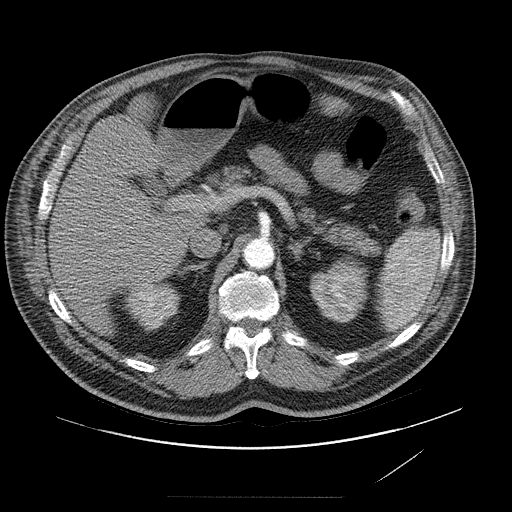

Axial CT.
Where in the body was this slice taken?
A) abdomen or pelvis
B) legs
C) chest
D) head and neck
Answer: A) abdomen or pelvis
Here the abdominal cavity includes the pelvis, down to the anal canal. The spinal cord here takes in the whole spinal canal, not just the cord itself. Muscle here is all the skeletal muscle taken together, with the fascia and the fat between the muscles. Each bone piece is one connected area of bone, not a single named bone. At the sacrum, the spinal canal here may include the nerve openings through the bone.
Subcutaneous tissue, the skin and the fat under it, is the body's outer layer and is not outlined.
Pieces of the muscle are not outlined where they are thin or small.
{"torso":[[[257,50],[376,62],[400,72],[423,92],[472,184],[476,266],[470,297],[455,329],[424,367],[385,395],[343,414],[298,417],[251,407],[200,425],[126,411],[94,397],[67,376],[36,341],[14,303],[3,242],[14,172],[54,116],[97,82],[171,56]]],"spinal_cord":[[[245,317],[249,317],[250,318],[254,318],[255,319],[257,319],[258,320],[261,321],[263,323],[263,326],[262,327],[261,330],[259,332],[258,332],[253,336],[248,336],[247,335],[245,330],[241,326],[239,326],[236,324],[241,319],[242,319]]],"muscle":[{"outer":[[257,56],[381,77],[422,101],[456,164],[465,205],[458,297],[443,326],[418,348],[346,387],[296,391],[257,377],[258,350],[274,338],[268,323],[279,310],[303,336],[285,327],[280,334],[286,343],[303,348],[309,341],[340,352],[333,355],[340,366],[357,361],[358,349],[393,335],[383,348],[394,349],[420,329],[423,322],[416,320],[440,270],[448,271],[455,254],[454,233],[450,227],[443,230],[437,190],[437,184],[445,185],[444,174],[425,123],[410,100],[392,87],[387,91],[400,110],[310,71],[269,63],[212,63],[151,81],[119,96],[91,119],[63,170],[74,142],[69,136],[61,144],[42,182],[36,216],[46,221],[43,241],[55,288],[47,290],[52,310],[69,325],[72,318],[125,355],[120,360],[133,369],[157,370],[155,365],[131,357],[137,355],[157,360],[178,355],[206,322],[210,293],[217,295],[218,312],[230,323],[223,349],[237,347],[244,353],[247,379],[208,397],[164,397],[93,366],[59,339],[43,310],[44,303],[22,276],[14,243],[20,181],[58,122],[103,88],[175,62]],"hole":[[203,338],[211,338],[212,339],[212,341],[213,342],[213,345],[208,350],[207,350],[200,354],[197,354],[196,355],[192,355],[191,356],[187,356],[186,355],[185,355],[185,353],[187,350],[188,350],[195,343],[196,343],[198,341],[199,341]]}],"abdominal_cavity":[[[221,63],[307,71],[386,102],[410,122],[436,184],[443,233],[435,285],[399,333],[344,352],[320,346],[280,310],[274,281],[251,270],[229,275],[209,293],[205,322],[173,357],[127,356],[71,316],[56,292],[44,240],[57,184],[87,126],[136,88]]],"bones":[{"outer":[[244,271],[268,276],[273,281],[279,297],[278,312],[267,323],[273,338],[257,350],[255,363],[259,374],[253,379],[249,379],[244,373],[247,368],[245,353],[237,346],[228,350],[224,349],[223,340],[231,323],[219,312],[218,308],[219,287],[229,276]],"hole":[[245,317],[249,317],[250,318],[254,318],[255,319],[257,319],[258,320],[261,321],[263,323],[263,326],[262,327],[261,330],[259,332],[258,332],[253,336],[248,336],[247,335],[245,330],[241,326],[239,326],[236,324],[241,319],[242,319]]},[[389,88],[392,88],[396,90],[407,98],[412,104],[417,114],[424,123],[424,133],[431,144],[431,149],[433,151],[433,153],[443,174],[445,181],[444,185],[436,183],[422,154],[422,150],[418,134],[407,116],[401,110],[395,99],[389,93],[388,91]],[[69,137],[71,137],[73,142],[71,146],[72,147],[65,159],[65,164],[58,178],[56,189],[52,200],[51,209],[48,217],[46,220],[41,221],[38,218],[37,214],[40,196],[42,192],[42,185],[44,180],[48,176],[54,162],[59,155],[62,144]],[[448,228],[450,228],[453,233],[453,240],[454,241],[454,254],[453,255],[453,258],[451,261],[451,264],[448,268],[447,271],[446,272],[443,272],[441,271],[440,269],[440,263],[441,262],[441,257],[442,256],[443,234],[444,232],[448,229]],[[415,321],[421,321],[422,322],[422,325],[419,328],[419,329],[410,338],[409,338],[402,344],[394,348],[390,348],[389,349],[385,349],[384,348],[384,347],[390,342],[391,342],[397,336],[398,334],[399,334],[405,328],[406,328],[409,325],[410,325]],[[49,289],[53,289],[54,290],[54,291],[57,294],[58,297],[63,303],[63,305],[65,308],[69,312],[69,314],[71,317],[72,324],[69,324],[63,320],[59,316],[58,316],[53,310],[52,307],[49,303],[49,299],[48,298],[48,290]],[[285,328],[287,328],[290,331],[295,331],[298,335],[306,338],[308,340],[308,345],[306,346],[304,346],[303,347],[301,347],[300,346],[297,346],[296,345],[291,345],[287,342],[286,342],[282,337],[282,335],[281,334],[281,333],[285,329]],[[203,338],[211,338],[212,339],[212,341],[213,342],[213,345],[208,350],[207,350],[200,354],[197,354],[196,355],[192,355],[191,356],[187,356],[186,355],[185,355],[185,353],[187,350],[188,350],[195,343],[196,343],[198,341],[199,341]],[[125,357],[130,357],[131,358],[134,358],[135,359],[137,359],[138,360],[140,360],[141,361],[144,361],[147,363],[149,363],[155,366],[156,367],[156,370],[152,372],[145,372],[144,371],[141,371],[135,368],[133,368],[129,366],[125,362],[121,360]],[[350,351],[357,351],[359,353],[359,357],[357,360],[349,364],[347,364],[346,365],[340,365],[336,363],[335,361],[335,359],[334,358],[334,355],[336,354],[340,354],[341,353],[344,353],[345,352],[349,352]]]}